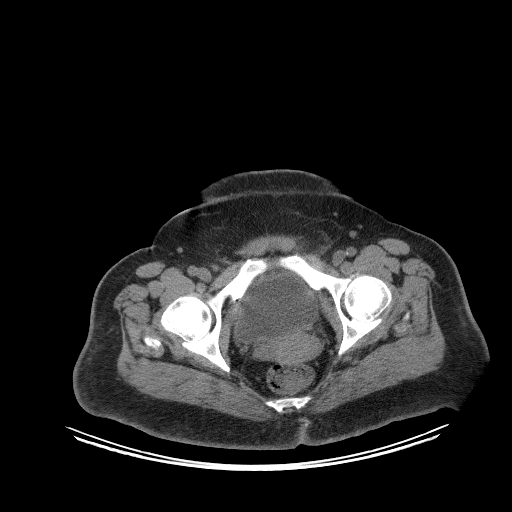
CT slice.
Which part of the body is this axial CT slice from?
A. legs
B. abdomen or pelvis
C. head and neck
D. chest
B. abdomen or pelvis
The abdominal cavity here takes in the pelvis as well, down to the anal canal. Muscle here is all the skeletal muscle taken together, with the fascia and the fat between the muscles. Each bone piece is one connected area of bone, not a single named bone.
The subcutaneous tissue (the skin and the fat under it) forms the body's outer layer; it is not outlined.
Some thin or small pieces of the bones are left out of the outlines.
{"bones":[[[294,254],[303,257],[315,268],[334,276],[348,277],[352,274],[368,274],[377,277],[386,284],[391,292],[392,298],[387,312],[383,314],[382,321],[340,357],[337,352],[343,335],[342,324],[329,292],[324,288],[313,289],[295,272],[274,263],[278,257]],[[249,258],[265,258],[270,265],[252,280],[241,298],[232,302],[228,297],[222,306],[218,345],[223,358],[230,367],[230,371],[227,373],[205,357],[182,346],[182,340],[177,335],[161,326],[160,318],[166,307],[179,296],[194,294],[205,301],[229,282]],[[301,395],[310,395],[312,397],[311,399],[309,400],[304,406],[301,407],[299,409],[297,409],[292,406],[288,408],[285,408],[283,413],[280,413],[276,411],[272,407],[268,406],[264,403],[265,401],[272,398],[294,397],[295,396],[300,396]],[[146,333],[153,337],[156,337],[157,338],[158,338],[160,340],[160,341],[161,342],[161,345],[157,349],[155,349],[154,348],[152,348],[151,347],[149,347],[148,346],[147,346],[144,343],[144,342],[143,341],[143,337],[144,336],[144,335]]],"torso":[[[275,168],[325,176],[388,220],[433,238],[449,253],[490,354],[461,407],[457,411],[442,407],[332,443],[284,450],[181,443],[85,411],[73,392],[72,370],[87,336],[93,294],[103,274],[125,255],[148,246],[161,225],[195,205],[198,192],[212,181]]],"muscle":[{"outer":[[266,233],[300,236],[306,242],[334,249],[387,237],[405,241],[413,255],[435,272],[432,302],[446,347],[440,366],[329,411],[284,414],[268,421],[154,398],[125,383],[116,367],[122,342],[118,315],[112,304],[135,269],[157,260],[177,266],[208,264]],"holes":[[[294,254],[334,276],[377,277],[392,298],[382,321],[339,357],[343,330],[333,299],[324,288],[313,291],[334,332],[335,353],[303,394],[311,399],[280,413],[241,371],[231,367],[227,373],[188,350],[160,318],[179,296],[205,301],[249,258],[273,264]],[[146,333],[153,337],[156,337],[157,338],[158,338],[160,340],[160,341],[161,342],[161,345],[157,349],[155,349],[154,348],[152,348],[151,347],[149,347],[148,346],[147,346],[144,343],[144,342],[143,341],[143,337],[144,336],[144,335]],[[406,312],[407,312],[408,312],[409,313],[409,314],[409,315],[409,316],[409,317],[409,318],[408,319],[407,320],[406,320],[405,320],[404,319],[403,319],[403,318],[403,317],[403,316],[404,315],[404,314],[405,313]]]},[[228,298],[232,303],[235,302],[237,300],[239,300],[237,308],[235,310],[235,315],[229,327],[228,355],[230,361],[230,366],[224,358],[220,350],[220,346],[219,345],[220,333],[222,328],[222,317],[223,316],[222,311],[223,310],[223,306]]],"abdominal_cavity":[[[271,264],[295,273],[314,290],[321,311],[335,336],[335,353],[331,356],[324,373],[312,388],[300,395],[281,397],[264,395],[253,387],[251,382],[241,371],[231,367],[229,355],[230,327],[236,315],[240,299],[243,297],[253,280],[257,276],[263,274]]]}